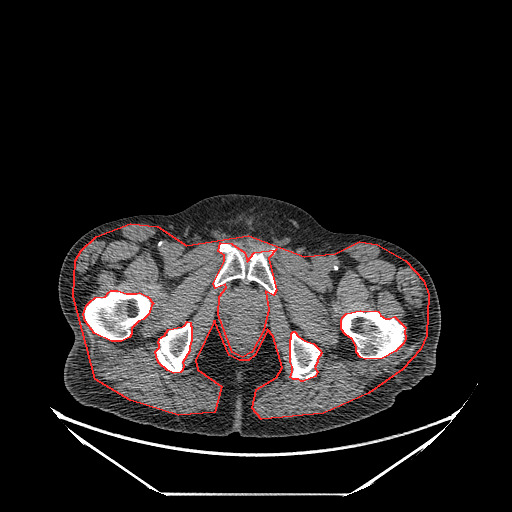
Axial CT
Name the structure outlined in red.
red: muscle.
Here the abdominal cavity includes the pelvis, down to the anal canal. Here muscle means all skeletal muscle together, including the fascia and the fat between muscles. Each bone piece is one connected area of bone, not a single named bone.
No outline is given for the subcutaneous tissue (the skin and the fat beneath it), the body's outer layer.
The muscle is outlined by (130, 223) (157, 226) (186, 245) (248, 235) (304, 256) (335, 253) (359, 241) (377, 244) (405, 260) (423, 280) (428, 294) (426, 335) (420, 349) (402, 369) (368, 393) (323, 413) (261, 419) (252, 408) (256, 389) (276, 377) (282, 367) (273, 336) (267, 329) (255, 354) (248, 360) (239, 360) (229, 355) (214, 320) (195, 360) (197, 369) (221, 386) (214, 412) (178, 415) (130, 400) (95, 379) (73, 296) (75, 260) (81, 250) (96, 236) with holes at (220, 242) (231, 243) (244, 252) (247, 261) (254, 252) (276, 249) (268, 258) (276, 290) (273, 295) (265, 291) (268, 309) (263, 330) (251, 352) (242, 357) (232, 352) (218, 314) (219, 296) (226, 287) (225, 284) (215, 288) (213, 283) (224, 261) (224, 255) (218, 251) and at (111, 290) (117, 290) (126, 293) (136, 293) (139, 292) (147, 296) (153, 303) (151, 305) (148, 314) (143, 319) (138, 321) (131, 328) (131, 334) (129, 337) (121, 341) (111, 341) (94, 333) (85, 321) (83, 314) (86, 305) (90, 301) (95, 297) (105, 296) (108, 292) and at (360, 310) (363, 311) (375, 310) (378, 311) (380, 315) (385, 318) (389, 318) (394, 316) (405, 327) (404, 331) (405, 338) (403, 343) (395, 351) (382, 358) (365, 359) (360, 357) (356, 352) (356, 346) (352, 339) (345, 334) (341, 329) (341, 319) (342, 317) (346, 313) and at (187, 321) (190, 322) (190, 325) (191, 326) (191, 340) (189, 346) (189, 351) (182, 362) (183, 365) (182, 370) (180, 372) (173, 373) (167, 370) (159, 363) (157, 360) (155, 351) (159, 347) (159, 344) (158, 343) (159, 338) (164, 335) (168, 329) (182, 326) (184, 325) and at (293, 331) (294, 331) (298, 336) (304, 340) (313, 343) (320, 350) (321, 353) (317, 359) (317, 362) (314, 367) (317, 371) (315, 376) (303, 381) (301, 381) (298, 379) (293, 379) (290, 377) (292, 371) (292, 366) (290, 362) (290, 339) (291, 338) (291, 333). The torso is outlined by (233, 193) (292, 203) (330, 231) (381, 238) (416, 257) (432, 278) (441, 312) (432, 374) (400, 392) (387, 409) (336, 428) (286, 437) (172, 431) (77, 402) (63, 381) (74, 334) (58, 298) (60, 268) (71, 246) (88, 230) (108, 221) (139, 214) (173, 214) (203, 198). The bones appear in 5 outlined pieces: piece 1: (111, 290) (117, 290) (126, 293) (136, 293) (139, 292) (147, 296) (153, 303) (151, 305) (148, 314) (143, 319) (138, 321) (131, 328) (131, 334) (129, 337) (121, 341) (111, 341) (94, 333) (85, 321) (83, 314) (86, 305) (90, 301) (95, 297) (105, 296) (108, 292); piece 2: (360, 310) (363, 311) (375, 310) (378, 311) (380, 315) (385, 318) (389, 318) (394, 316) (405, 327) (404, 331) (405, 338) (403, 343) (395, 351) (382, 358) (365, 359) (360, 357) (356, 352) (356, 346) (352, 339) (345, 334) (341, 329) (341, 319) (342, 317) (346, 313); piece 3: (220, 242) (231, 243) (244, 252) (244, 257) (247, 261) (252, 253) (266, 251) (274, 247) (276, 249) (275, 254) (268, 258) (269, 267) (276, 281) (274, 294) (270, 295) (257, 282) (248, 281) (246, 278) (233, 279) (215, 288) (214, 276) (224, 261) (224, 255) (218, 251); piece 4: (187, 321) (190, 322) (190, 325) (191, 326) (191, 340) (189, 346) (189, 351) (182, 362) (183, 365) (182, 370) (180, 372) (173, 373) (167, 370) (159, 363) (157, 360) (155, 351) (159, 347) (159, 344) (158, 343) (159, 338) (164, 335) (168, 329) (182, 326) (184, 325); piece 5: (293, 331) (294, 331) (298, 336) (304, 340) (313, 343) (320, 350) (321, 353) (317, 359) (317, 362) (314, 367) (317, 371) (315, 376) (303, 381) (301, 381) (298, 379) (293, 379) (290, 377) (292, 371) (292, 366) (290, 362) (290, 339) (291, 338) (291, 333). The abdominal cavity is outlined by (237, 279) (241, 280) (246, 279) (248, 282) (255, 282) (261, 286) (265, 290) (265, 296) (268, 307) (263, 330) (257, 340) (256, 344) (250, 353) (242, 357) (236, 356) (232, 352) (222, 328) (222, 324) (220, 323) (218, 314) (218, 303) (220, 294) (226, 287) (226, 284).